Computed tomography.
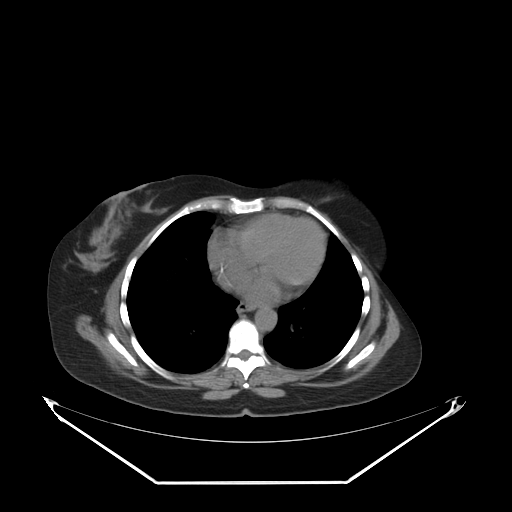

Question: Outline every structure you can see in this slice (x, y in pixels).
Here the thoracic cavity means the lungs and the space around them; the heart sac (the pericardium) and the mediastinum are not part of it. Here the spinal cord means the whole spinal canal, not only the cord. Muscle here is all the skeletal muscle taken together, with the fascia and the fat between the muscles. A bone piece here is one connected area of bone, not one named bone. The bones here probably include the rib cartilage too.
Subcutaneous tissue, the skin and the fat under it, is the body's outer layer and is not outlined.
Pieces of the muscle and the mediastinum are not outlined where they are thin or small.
Answer: The bones appear in 9 outlined pieces: piece 1: [[240,319],[247,319],[255,325],[259,333],[259,341],[271,361],[271,364],[269,365],[258,366],[252,370],[246,381],[249,385],[248,388],[243,387],[245,380],[243,374],[237,368],[225,366],[219,367],[219,363],[224,356],[228,344],[229,330],[233,323]], around a hole outlined by [[242,350],[247,350],[248,351],[249,351],[251,353],[251,355],[248,358],[247,358],[246,359],[242,359],[241,358],[240,358],[238,356],[238,354]]; piece 2: [[232,196],[245,201],[262,196],[267,203],[264,209],[260,209],[255,212],[249,213],[231,213],[224,208],[213,208],[207,210],[197,210],[185,214],[169,224],[146,249],[146,245],[153,234],[167,220],[186,205],[190,205],[199,201],[209,199],[227,200]]; piece 3: [[277,198],[289,198],[290,199],[294,199],[295,200],[302,201],[311,205],[335,227],[340,234],[341,241],[331,231],[330,231],[330,230],[328,229],[325,225],[310,213],[295,208],[277,208],[276,207],[273,207],[271,205],[270,201],[273,199],[276,199]]; piece 4: [[134,256],[137,257],[137,260],[132,270],[132,273],[129,280],[129,283],[127,288],[127,293],[125,298],[127,313],[131,325],[131,327],[128,328],[126,327],[122,322],[120,316],[119,307],[122,299],[121,298],[121,285],[125,274],[125,270],[128,263]]; piece 5: [[132,334],[134,334],[135,335],[136,339],[144,351],[158,365],[164,369],[169,371],[173,375],[174,377],[173,379],[167,379],[161,375],[158,374],[149,366],[148,366],[141,359],[141,358],[137,354],[132,346],[131,340],[130,339],[130,337]]; piece 6: [[351,253],[354,253],[358,257],[361,263],[361,268],[362,269],[361,274],[364,275],[367,278],[369,283],[368,294],[370,300],[370,305],[369,306],[369,310],[365,316],[361,315],[361,309],[365,293],[362,287],[361,278],[351,257],[350,254]]; piece 7: [[357,326],[360,328],[360,330],[359,331],[359,335],[355,343],[352,346],[350,350],[336,364],[327,370],[320,372],[319,370],[322,367],[323,367],[329,360],[335,356],[342,349],[342,348],[346,344],[352,335],[354,330]]; piece 8: [[110,332],[114,334],[116,338],[124,346],[124,347],[128,351],[128,352],[134,358],[134,359],[137,362],[137,364],[138,365],[137,366],[135,366],[131,364],[127,360],[127,359],[122,354],[117,351],[109,342],[109,341],[107,339],[107,334]]; piece 9: [[372,341],[374,341],[375,343],[375,346],[373,350],[366,357],[360,360],[354,366],[353,366],[351,368],[349,368],[348,369],[345,369],[344,368],[346,364],[348,362],[348,361],[354,356],[355,356],[365,346],[366,346],[370,342]]. The pericardium is outlined by [[268,209],[294,210],[310,214],[321,223],[327,232],[325,258],[317,275],[303,293],[287,303],[283,303],[279,306],[256,303],[235,295],[222,287],[215,280],[210,269],[207,254],[208,242],[212,232],[220,224],[231,217],[252,214],[260,210]]. The mediastinum appears in 2 outlined pieces: piece 1: [[210,270],[214,280],[222,288],[231,294],[256,304],[271,307],[279,307],[277,310],[277,323],[273,330],[263,337],[261,343],[260,333],[256,325],[247,318],[237,319],[238,316],[236,312],[236,307],[239,301],[234,296],[225,292],[213,283],[211,279]]; piece 2: [[213,209],[215,209],[216,210],[218,210],[219,209],[224,209],[228,211],[231,214],[244,214],[236,215],[235,216],[231,216],[229,218],[226,219],[220,223],[215,228],[214,228],[211,232],[211,234],[210,226],[214,221],[215,216],[208,210],[212,210]]. The torso is outlined by [[187,173],[215,175],[255,187],[272,186],[307,174],[333,174],[349,182],[383,227],[389,259],[382,278],[421,339],[422,358],[415,376],[402,387],[366,403],[276,417],[207,417],[152,410],[71,376],[54,353],[47,314],[47,274],[56,245],[108,196]]. The spinal cord is outlined by [[242,350],[247,350],[248,351],[249,351],[251,353],[251,355],[248,358],[247,358],[246,359],[242,359],[241,358],[240,358],[238,356],[238,354]]. The thoracic cavity appears in 2 outlined pieces: piece 1: [[197,211],[208,211],[214,216],[209,226],[210,234],[206,243],[206,259],[210,279],[216,287],[238,301],[235,307],[237,317],[228,330],[227,344],[219,361],[199,372],[179,373],[164,368],[145,351],[132,328],[126,298],[133,270],[144,252],[174,221]]; piece 2: [[331,232],[341,242],[349,253],[360,278],[361,287],[364,293],[360,309],[360,316],[355,328],[345,344],[335,355],[326,362],[306,368],[289,367],[270,358],[267,355],[262,344],[263,339],[276,327],[278,323],[279,308],[303,294],[318,275],[326,258]]. The muscle appears in 2 outlined pieces: piece 1: [[222,194],[232,195],[227,199],[209,198],[199,200],[183,206],[167,219],[152,234],[141,256],[134,255],[127,263],[118,311],[122,324],[134,333],[129,339],[136,354],[167,380],[175,378],[171,372],[195,374],[219,362],[219,368],[235,368],[242,374],[244,389],[250,386],[247,381],[253,370],[271,365],[270,359],[294,369],[325,363],[320,373],[336,365],[360,335],[358,321],[371,305],[370,283],[362,274],[359,257],[346,249],[339,231],[319,210],[358,248],[401,326],[396,341],[365,376],[332,387],[287,388],[281,397],[263,397],[244,389],[226,399],[202,399],[197,390],[151,387],[116,373],[77,332],[75,320],[80,314],[103,321],[101,309],[109,286],[130,253],[156,225],[186,203],[192,200]], around holes outlined by [[110,332],[114,334],[116,338],[124,346],[124,347],[128,351],[128,352],[134,358],[134,359],[137,362],[137,364],[138,365],[137,366],[135,366],[131,364],[127,360],[127,359],[122,354],[117,351],[109,342],[109,341],[107,339],[107,334]] and by [[372,341],[374,341],[375,343],[375,346],[373,350],[366,357],[360,360],[354,366],[353,366],[351,368],[349,368],[348,369],[345,369],[344,368],[346,364],[348,362],[348,361],[354,356],[355,356],[365,346],[366,346],[370,342]]; piece 2: [[274,196],[285,196],[286,197],[292,197],[297,198],[298,199],[302,200],[299,200],[298,199],[295,199],[294,198],[290,198],[289,197],[277,197],[276,198],[273,198],[269,201],[269,203],[271,206],[267,206],[268,205],[268,203],[264,197],[273,197]].